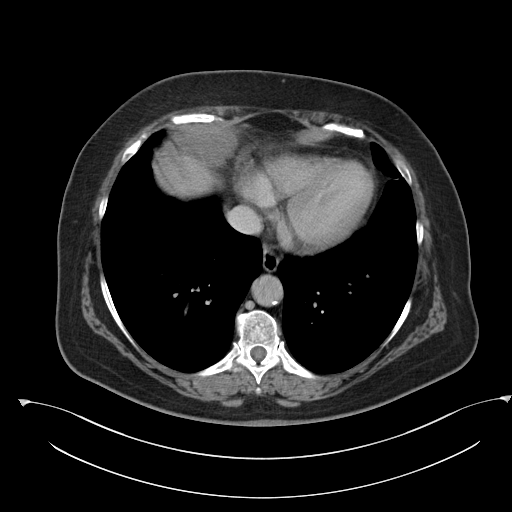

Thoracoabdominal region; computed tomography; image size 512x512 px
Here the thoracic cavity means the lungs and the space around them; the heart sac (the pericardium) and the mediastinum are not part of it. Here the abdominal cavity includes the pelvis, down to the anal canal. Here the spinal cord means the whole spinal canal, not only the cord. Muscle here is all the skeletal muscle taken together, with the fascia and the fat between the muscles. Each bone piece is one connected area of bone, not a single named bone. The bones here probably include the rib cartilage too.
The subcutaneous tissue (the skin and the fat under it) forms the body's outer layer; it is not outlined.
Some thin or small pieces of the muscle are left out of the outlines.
{"torso":[[[213,69],[272,70],[354,84],[390,99],[418,124],[453,180],[467,223],[470,291],[479,336],[472,357],[462,368],[353,415],[294,425],[242,426],[198,421],[146,407],[79,376],[66,364],[55,334],[57,228],[75,159],[100,124],[140,89],[174,74]]],"thoracic_cavity":[[[162,129],[165,135],[153,147],[150,162],[157,188],[182,202],[221,197],[227,223],[234,230],[257,238],[262,251],[261,271],[236,311],[230,348],[219,360],[194,372],[161,363],[136,342],[115,306],[101,259],[101,222],[114,182],[122,166],[153,133]],[[371,142],[377,143],[385,151],[410,187],[418,247],[413,282],[395,323],[377,348],[363,360],[343,371],[319,374],[299,363],[285,343],[280,327],[284,288],[277,269],[287,255],[302,258],[323,252],[343,242],[366,225],[389,178],[375,166]]],"muscle":[{"outer":[[204,105],[249,105],[250,106],[260,106],[261,107],[269,107],[270,108],[289,108],[290,109],[305,109],[306,110],[322,110],[323,111],[344,114],[349,117],[371,125],[398,148],[403,151],[406,158],[415,171],[416,176],[422,186],[429,214],[429,218],[431,223],[433,238],[435,244],[435,249],[437,255],[437,260],[439,266],[439,271],[441,277],[444,299],[446,305],[446,311],[447,312],[447,320],[444,325],[443,330],[432,334],[423,341],[416,344],[403,354],[400,355],[394,360],[376,371],[369,377],[352,385],[343,391],[327,398],[291,407],[283,406],[271,399],[263,397],[248,398],[238,406],[225,406],[185,396],[144,372],[136,366],[128,358],[122,355],[114,345],[108,340],[95,333],[87,324],[83,317],[81,309],[81,295],[80,291],[82,286],[83,260],[84,259],[84,253],[85,252],[85,246],[86,245],[86,239],[87,238],[87,232],[89,224],[90,210],[102,179],[111,165],[116,154],[123,146],[124,143],[142,127],[170,111],[177,109],[194,107],[195,106],[203,106]],"hole":[[199,112],[224,122],[278,113],[319,131],[329,122],[360,128],[363,140],[377,143],[393,164],[397,158],[406,165],[423,238],[409,293],[411,307],[388,343],[343,371],[319,374],[315,379],[289,373],[278,364],[263,374],[259,394],[255,377],[244,366],[238,371],[198,376],[171,368],[138,344],[131,344],[112,317],[100,287],[104,272],[99,204],[110,194],[123,165],[123,152],[142,133],[149,137],[173,125],[173,116]]}],"bones":[{"outer":[[255,309],[263,310],[275,318],[290,355],[317,374],[317,378],[289,373],[278,364],[263,374],[258,385],[261,391],[257,394],[255,377],[244,366],[238,371],[225,370],[206,376],[194,374],[216,363],[229,351],[232,342],[238,338],[235,329],[236,315]],"hole":[[257,346],[259,346],[260,347],[262,347],[265,350],[265,355],[264,356],[264,357],[262,359],[261,359],[259,361],[257,361],[256,360],[255,360],[252,357],[252,356],[251,355],[251,350],[254,347],[256,347]]},[[101,273],[103,273],[104,275],[112,301],[117,311],[117,313],[125,328],[137,344],[137,347],[133,346],[127,339],[127,338],[116,324],[107,307],[107,305],[104,300],[104,298],[101,291],[101,288],[100,287],[100,281],[99,280],[99,277]],[[199,112],[200,113],[209,113],[210,114],[213,114],[216,116],[218,116],[219,117],[221,117],[223,118],[223,121],[187,121],[186,122],[180,122],[179,123],[173,123],[171,121],[171,118],[175,115],[179,115],[180,114],[185,114],[186,113],[198,113]],[[329,122],[334,122],[335,123],[344,124],[354,128],[360,128],[363,130],[365,134],[365,138],[363,138],[362,139],[361,138],[358,138],[353,136],[348,136],[347,135],[345,135],[335,131],[325,131],[324,130],[322,130],[321,129],[321,127],[324,124]],[[409,297],[411,297],[412,298],[412,303],[411,304],[411,307],[410,308],[410,310],[406,318],[404,320],[403,323],[401,325],[398,331],[390,340],[390,341],[385,345],[383,346],[381,346],[381,344],[391,332],[394,325],[396,323]],[[142,133],[146,133],[148,135],[148,137],[141,144],[141,145],[139,147],[139,148],[137,150],[137,151],[124,164],[122,164],[121,163],[121,158],[122,157],[122,155],[123,154],[123,152],[125,150],[125,149],[133,142],[134,142],[140,136],[140,135]],[[395,158],[397,158],[401,160],[406,165],[406,166],[408,168],[409,170],[409,172],[410,173],[410,175],[411,176],[411,185],[410,186],[407,183],[407,182],[404,179],[404,178],[400,174],[399,171],[395,166],[394,164],[394,159]],[[416,220],[419,220],[422,223],[422,224],[423,225],[423,238],[422,239],[422,242],[421,243],[421,244],[420,245],[420,246],[418,246],[418,245],[417,244],[417,239],[416,238],[416,228],[415,227],[415,226],[416,225]],[[105,195],[107,195],[108,196],[108,200],[107,201],[107,205],[105,209],[105,212],[103,215],[103,217],[102,219],[100,220],[99,219],[99,216],[98,215],[98,209],[99,208],[99,204],[100,203],[100,201],[102,197],[103,197]]],"mediastinum":[[[231,189],[241,203],[255,209],[262,216],[276,247],[286,255],[279,262],[276,269],[276,274],[283,288],[282,311],[279,324],[273,315],[263,309],[255,308],[237,313],[251,283],[262,271],[263,251],[257,237],[242,233],[228,223],[223,212],[222,196]],[[336,133],[370,142],[369,147],[374,166],[388,177],[384,184],[382,192],[375,207],[365,225],[362,227],[376,203],[378,186],[376,183],[374,170],[369,159],[365,155],[355,149],[351,149],[346,146],[311,143],[320,143],[324,141],[333,140],[337,136]]],"spinal_cord":[[[257,346],[259,346],[260,347],[262,347],[265,350],[265,355],[264,356],[264,357],[262,359],[261,359],[259,361],[257,361],[256,360],[255,360],[252,357],[252,356],[251,355],[251,350],[254,347],[256,347]]],"abdominal_cavity":[[[266,113],[284,115],[310,129],[333,132],[336,135],[335,138],[320,142],[287,141],[254,149],[238,161],[233,171],[230,189],[221,196],[215,194],[182,201],[166,195],[158,188],[154,180],[151,162],[154,147],[166,135],[166,128],[187,122],[241,122]]],"pericardium":[[[287,142],[346,147],[351,150],[355,150],[368,159],[373,170],[374,179],[377,186],[375,203],[359,229],[332,247],[302,257],[289,255],[282,252],[277,247],[263,216],[255,208],[241,202],[231,188],[234,171],[239,161],[256,149],[270,145],[284,144]]]}